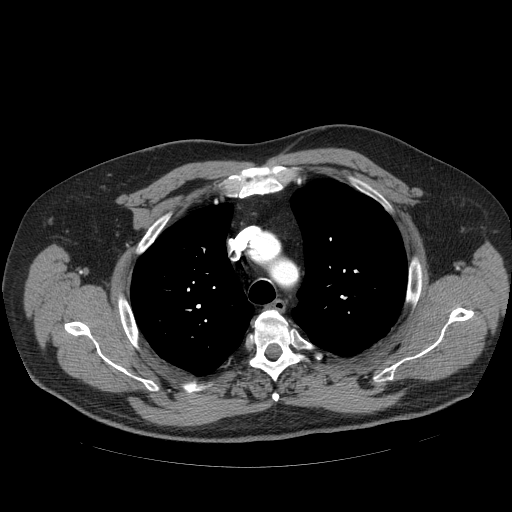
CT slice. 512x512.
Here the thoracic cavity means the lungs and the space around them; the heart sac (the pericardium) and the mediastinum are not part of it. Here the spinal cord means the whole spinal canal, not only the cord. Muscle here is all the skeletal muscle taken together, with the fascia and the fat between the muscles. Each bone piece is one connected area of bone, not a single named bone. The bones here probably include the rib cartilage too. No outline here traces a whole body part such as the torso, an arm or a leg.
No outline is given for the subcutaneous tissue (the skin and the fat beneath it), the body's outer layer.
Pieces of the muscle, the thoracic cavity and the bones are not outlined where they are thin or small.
{"spinal_cord":[[[271,344],[276,344],[277,345],[278,345],[280,347],[280,348],[281,349],[281,352],[280,353],[280,354],[278,356],[278,357],[276,359],[275,359],[274,360],[269,359],[266,356],[266,355],[265,354],[265,351],[266,350],[266,349],[268,347],[268,346]]],"thoracic_cavity":[[[311,176],[328,177],[348,184],[377,202],[395,221],[406,252],[407,283],[403,309],[396,323],[383,338],[361,353],[349,357],[324,351],[305,338],[294,325],[291,314],[292,309],[298,303],[296,294],[305,275],[305,264],[302,234],[291,208],[290,199]],[[210,198],[210,202],[213,205],[231,203],[233,206],[226,238],[226,252],[238,276],[243,292],[253,307],[252,329],[246,333],[241,349],[230,356],[214,372],[198,377],[173,366],[159,357],[141,335],[130,304],[130,282],[137,258],[146,251],[168,226]]],"muscle":[{"outer":[[317,147],[357,151],[406,184],[420,188],[424,193],[420,200],[423,227],[437,252],[457,256],[488,240],[502,256],[511,275],[505,320],[474,362],[424,383],[397,404],[373,413],[277,403],[263,411],[207,424],[173,426],[149,422],[123,398],[70,376],[40,348],[25,316],[23,294],[29,267],[44,248],[56,243],[71,258],[81,261],[101,254],[118,227],[115,199],[146,187],[180,165],[217,159],[261,165],[283,152]],"holes":[[[275,165],[298,167],[307,177],[328,177],[346,184],[348,175],[355,176],[391,204],[407,261],[416,255],[422,268],[414,308],[404,307],[387,335],[361,353],[349,357],[329,353],[321,360],[291,364],[275,382],[263,370],[250,366],[242,349],[203,377],[159,357],[141,335],[137,350],[124,331],[117,299],[122,293],[130,301],[131,274],[138,257],[135,250],[148,228],[169,211],[169,226],[219,196],[217,184],[232,174]],[[457,307],[472,310],[473,315],[470,318],[466,320],[457,320],[450,323],[447,326],[440,342],[421,356],[406,360],[400,364],[394,372],[393,380],[375,382],[372,379],[374,375],[384,368],[405,357],[415,355],[431,345],[439,337],[451,311]],[[71,321],[80,321],[88,326],[91,334],[98,343],[101,352],[107,358],[114,363],[120,365],[134,375],[152,380],[160,387],[160,389],[157,391],[150,391],[139,380],[125,374],[107,363],[98,354],[95,345],[88,336],[73,335],[65,330],[64,324]],[[192,379],[195,379],[199,382],[206,382],[207,381],[213,381],[213,384],[211,386],[206,388],[204,390],[202,390],[201,391],[196,391],[195,392],[191,392],[189,393],[187,392],[181,386],[181,383],[182,383],[184,381],[186,381],[187,380],[191,380]],[[274,391],[275,391],[276,391],[277,392],[278,393],[279,394],[279,395],[279,396],[279,397],[279,398],[279,399],[278,400],[277,401],[276,401],[275,401],[274,400],[273,399],[272,398],[272,397],[271,396],[271,395],[271,394],[272,393],[273,392]]]}],"mediastinum":[[[301,176],[308,177],[306,181],[289,199],[301,234],[304,264],[304,275],[295,294],[297,303],[290,312],[293,325],[273,308],[263,310],[252,322],[254,307],[244,292],[227,252],[234,206],[231,202],[213,204],[211,197],[243,199],[253,195],[276,193]]],"bones":[{"outer":[[270,309],[281,314],[292,326],[297,328],[305,339],[320,350],[330,353],[325,354],[321,360],[312,359],[310,363],[301,361],[289,365],[281,372],[275,382],[263,370],[250,366],[245,361],[247,356],[242,349],[245,337],[253,329],[252,325],[257,316]],"hole":[[271,344],[276,344],[277,345],[278,345],[280,347],[280,348],[281,349],[281,352],[280,353],[280,354],[278,356],[278,357],[276,359],[275,359],[274,360],[269,359],[266,356],[266,355],[265,354],[265,351],[266,350],[266,349],[268,347],[268,346]]},[[275,165],[281,165],[286,167],[298,167],[304,175],[301,175],[294,179],[286,185],[283,189],[279,191],[265,194],[253,194],[243,198],[238,197],[233,198],[220,195],[215,190],[218,183],[232,174],[239,173],[243,169],[258,166],[271,167]],[[457,307],[472,310],[473,315],[470,318],[466,320],[457,320],[450,323],[447,326],[440,342],[421,356],[406,360],[400,364],[394,372],[393,380],[375,382],[372,379],[374,375],[384,368],[405,357],[415,355],[431,345],[439,337],[451,311]],[[71,321],[80,321],[88,326],[91,334],[98,343],[101,352],[107,358],[114,363],[120,365],[134,375],[152,380],[160,387],[160,389],[157,391],[150,391],[139,380],[125,374],[107,363],[98,354],[95,345],[88,336],[73,335],[65,330],[64,324]],[[414,255],[416,255],[418,257],[421,264],[422,268],[422,283],[421,284],[421,291],[419,298],[417,300],[414,308],[412,309],[410,304],[404,307],[404,302],[405,301],[405,296],[406,295],[406,290],[408,283],[408,267],[409,266],[409,262],[411,257]],[[120,293],[122,293],[129,302],[135,323],[138,328],[138,330],[140,334],[140,337],[139,338],[140,350],[137,350],[130,342],[124,331],[123,326],[121,323],[121,320],[119,315],[119,311],[118,310],[118,306],[117,305],[117,299],[118,298],[118,295]],[[169,211],[171,211],[172,212],[172,214],[167,223],[166,227],[157,236],[155,240],[145,250],[145,251],[144,251],[140,255],[137,256],[135,253],[135,250],[137,247],[137,245],[139,241],[144,235],[148,228],[155,220],[156,220],[160,216],[163,215]],[[348,175],[352,175],[359,178],[361,180],[368,183],[373,188],[377,190],[391,204],[393,208],[393,214],[391,215],[387,211],[386,211],[377,201],[376,201],[371,197],[366,195],[364,193],[359,191],[357,189],[350,185],[349,184],[349,181],[347,178]],[[192,379],[195,379],[199,382],[206,382],[207,381],[213,381],[213,384],[211,386],[206,388],[204,390],[202,390],[201,391],[196,391],[195,392],[191,392],[189,393],[187,392],[181,386],[181,383],[182,383],[184,381],[186,381],[187,380],[191,380]]]}